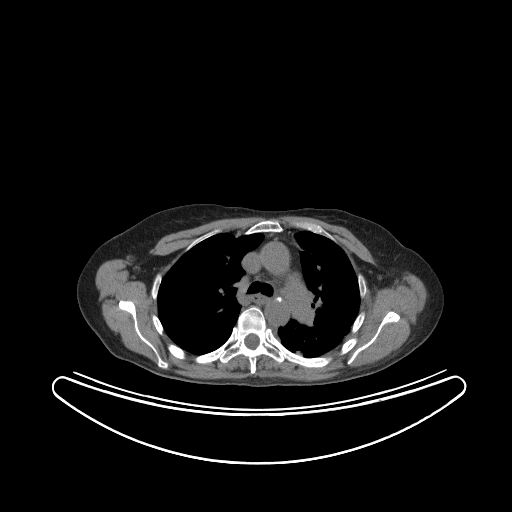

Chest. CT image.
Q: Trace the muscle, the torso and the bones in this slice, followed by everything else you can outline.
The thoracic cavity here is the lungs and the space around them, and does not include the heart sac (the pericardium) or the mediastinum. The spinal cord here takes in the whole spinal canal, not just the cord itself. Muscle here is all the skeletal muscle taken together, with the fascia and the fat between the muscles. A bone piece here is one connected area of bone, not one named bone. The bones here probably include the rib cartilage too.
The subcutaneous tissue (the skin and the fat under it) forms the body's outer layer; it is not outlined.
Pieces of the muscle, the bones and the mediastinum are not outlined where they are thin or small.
A: Outlined structures:
muscle 1: [[114,258],[130,262],[127,268],[135,280],[148,287],[151,283],[150,295],[157,304],[151,321],[161,336],[165,333],[171,340],[166,348],[172,356],[184,360],[187,352],[195,355],[197,364],[217,360],[226,364],[243,355],[252,375],[261,355],[278,363],[286,360],[322,368],[332,361],[327,354],[333,350],[339,348],[341,356],[350,351],[358,339],[351,336],[344,340],[364,322],[366,313],[359,309],[367,281],[374,294],[375,289],[391,286],[407,271],[422,280],[427,297],[407,340],[373,363],[310,381],[260,376],[204,379],[167,369],[169,363],[139,329],[132,300],[120,299],[118,308],[131,315],[134,330],[154,353],[156,365],[125,347],[107,326],[95,275],[101,263]], around a hole outlined by [[391,310],[392,311],[396,312],[399,315],[400,317],[399,319],[395,322],[388,322],[384,324],[381,328],[375,340],[366,348],[360,351],[350,364],[347,364],[346,362],[352,355],[353,352],[358,347],[366,343],[375,334],[384,316],[388,311],[390,311]]
muscle 2: [[285,215],[313,217],[348,229],[369,250],[375,261],[375,264],[372,264],[360,260],[359,264],[362,272],[356,273],[348,255],[337,243],[335,237],[320,224],[309,220],[294,220],[291,224],[297,228],[285,229],[278,220],[266,218],[255,222],[242,233],[222,232],[222,227],[214,227],[194,238],[163,275],[160,270],[156,273],[158,268],[168,258],[152,254],[149,251],[159,239],[167,234],[223,218],[251,216],[274,218]]
torso: [[192,203],[216,203],[261,210],[336,208],[374,221],[422,256],[436,273],[444,293],[439,321],[421,345],[394,364],[369,375],[323,385],[253,387],[198,384],[159,376],[119,359],[108,351],[80,312],[76,298],[80,272],[92,253],[106,240],[155,212]]
bones 1: [[253,305],[260,308],[266,325],[288,350],[307,358],[330,356],[331,361],[322,367],[306,367],[286,359],[278,362],[261,354],[256,358],[253,374],[249,359],[243,354],[226,363],[218,359],[208,363],[195,362],[196,356],[222,345],[231,334],[241,311]], around a hole outlined by [[249,334],[254,334],[255,335],[256,335],[258,337],[258,344],[256,346],[256,347],[255,347],[254,348],[250,348],[249,347],[248,347],[245,344],[245,342],[244,341],[245,340],[245,338]]
bones 2: [[120,300],[130,300],[133,302],[135,306],[135,313],[138,329],[141,334],[154,346],[160,357],[168,363],[169,365],[166,369],[161,368],[157,365],[157,357],[155,353],[137,334],[134,327],[134,321],[132,315],[129,312],[119,308],[118,304]]
bones 3: [[391,310],[392,311],[396,312],[399,315],[400,317],[399,319],[395,322],[388,322],[384,324],[381,328],[375,340],[366,348],[360,351],[350,364],[347,364],[346,362],[352,355],[353,352],[358,347],[366,343],[375,334],[384,316],[388,311],[390,311]]
bones 4: [[266,219],[271,219],[272,220],[276,220],[278,221],[283,227],[284,229],[283,231],[281,232],[256,232],[255,233],[251,233],[250,234],[244,234],[243,233],[243,232],[246,229],[247,229],[255,223],[259,221],[261,221],[262,220],[265,220]]
bones 5: [[294,221],[309,221],[310,222],[316,223],[320,225],[327,232],[331,234],[336,240],[336,242],[333,241],[331,239],[328,238],[324,235],[322,235],[318,233],[315,233],[310,230],[307,230],[306,229],[300,229],[297,227],[295,227],[292,224],[292,222]]
bones 6: [[217,227],[220,227],[222,228],[222,231],[221,232],[219,232],[207,238],[205,238],[203,240],[200,241],[198,243],[194,245],[187,251],[185,251],[184,252],[184,250],[186,248],[186,247],[194,239],[201,236],[203,234]]
bones 7: [[160,271],[162,273],[162,279],[161,280],[161,282],[159,285],[159,288],[158,289],[158,291],[157,292],[157,298],[156,299],[156,301],[153,299],[153,298],[151,295],[151,288],[152,287],[152,282],[153,281],[154,276],[158,272],[159,272]]
bones 8: [[169,343],[173,343],[177,346],[178,346],[180,348],[181,348],[183,350],[184,350],[186,352],[186,354],[185,355],[185,358],[184,359],[180,359],[179,358],[178,358],[177,357],[175,357],[173,355],[172,355],[169,352],[169,351],[167,348],[167,345]]
bones 9: [[351,337],[355,337],[357,339],[357,341],[356,342],[356,343],[355,344],[355,345],[350,350],[349,350],[346,353],[345,353],[344,354],[342,354],[341,355],[339,353],[339,352],[340,351],[340,346],[344,341],[345,341],[347,339],[348,339]]
bones 10: [[359,272],[360,272],[363,274],[363,275],[365,278],[365,280],[366,281],[366,293],[365,294],[365,295],[364,296],[364,297],[362,299],[361,299],[361,298],[360,297],[360,293],[359,292],[359,285],[358,284],[358,280],[357,279],[357,273],[358,273]]
bones 11: [[361,311],[363,311],[365,313],[365,316],[364,317],[363,322],[356,332],[355,332],[354,333],[351,333],[350,332],[350,331],[351,330],[351,327],[352,326],[352,324],[355,320],[355,319],[356,318],[357,315],[359,313],[359,312],[360,312]]
bones 12: [[153,314],[156,314],[157,315],[157,316],[158,317],[158,318],[159,319],[159,320],[160,321],[160,322],[163,327],[163,329],[164,330],[164,332],[162,335],[161,335],[157,331],[157,330],[155,328],[155,327],[153,324],[153,322],[152,321],[152,315]]
thoracic cavity 1: [[228,232],[233,233],[236,237],[242,234],[256,233],[262,233],[263,237],[256,247],[246,252],[240,259],[244,274],[235,294],[240,305],[240,312],[230,334],[216,348],[196,355],[174,343],[165,332],[158,316],[158,292],[163,276],[182,254],[205,239]]
thoracic cavity 2: [[299,230],[306,230],[324,236],[341,247],[356,274],[360,298],[358,313],[351,324],[349,332],[339,347],[324,355],[314,357],[307,357],[288,349],[273,331],[285,326],[291,319],[303,292],[304,276],[300,258],[300,253],[303,249],[295,238],[295,234]]
spinal cord: [[249,334],[254,334],[255,335],[256,335],[258,337],[258,344],[256,346],[256,347],[255,347],[254,348],[250,348],[249,347],[248,347],[245,344],[245,342],[244,341],[245,340],[245,338]]
mediastinum: [[290,229],[298,230],[294,234],[294,238],[302,249],[299,253],[303,276],[302,292],[290,319],[285,325],[279,326],[275,330],[267,325],[264,312],[257,305],[253,304],[241,310],[236,294],[245,271],[240,262],[246,253],[261,243],[263,233],[281,233]]